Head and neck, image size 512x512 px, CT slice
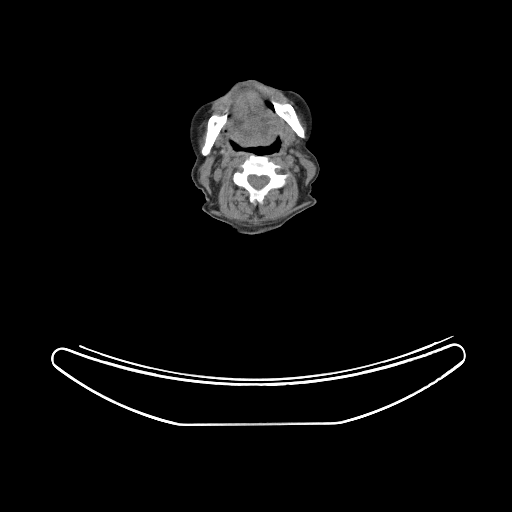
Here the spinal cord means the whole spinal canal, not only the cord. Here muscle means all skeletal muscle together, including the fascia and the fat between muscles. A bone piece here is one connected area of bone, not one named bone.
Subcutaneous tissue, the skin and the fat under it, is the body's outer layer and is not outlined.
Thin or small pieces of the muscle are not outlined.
The bones appear in 3 outlined pieces: piece 1: 251,154 265,155 270,161 281,166 281,168 277,170 278,172 288,174 288,176 285,179 285,184 280,188 270,189 264,196 262,204 252,203 249,199 249,192 245,188 236,185 232,180 233,173 238,169 239,165, around a hole outlined by 249,175 256,175 257,176 267,176 269,178 269,180 268,181 268,182 265,185 264,185 261,188 259,188 258,189 257,188 255,188 254,187 253,187 249,183 249,182 248,181 248,176; piece 2: 225,112 227,113 227,119 225,124 222,127 218,135 216,137 209,153 205,156 202,155 201,153 201,149 204,145 204,143 205,142 206,130 207,129 207,122 209,117 212,114 218,114 220,115 221,114 223,114; piece 3: 271,99 273,99 275,101 280,103 288,103 293,107 295,110 295,112 297,115 299,122 304,130 304,132 305,133 305,138 301,138 298,136 292,129 292,128 287,123 287,122 281,117 280,117 276,113 271,103. The head and neck is outlined by 252,78 292,90 305,99 313,121 307,148 316,156 320,171 311,190 316,199 315,205 275,229 258,234 244,234 210,217 201,209 205,198 190,175 195,155 189,139 189,126 194,112 202,104 223,94 235,82; inner edge: 276,140 279,140 279,147 277,150 269,153 266,153 265,154 256,154 255,153 252,153 250,151 246,151 243,149 236,149 233,145 233,144 235,144 243,149 245,148 267,147 273,144 274,142 276,141. The spinal cord is outlined by 249,175 256,175 257,176 267,176 269,178 269,180 268,181 268,182 265,185 264,185 261,188 259,188 258,189 257,188 255,188 254,187 253,187 249,183 249,182 248,181 248,176. The muscle is outlined by 250,82 279,91 295,103 306,132 290,103 273,98 270,103 303,139 302,151 317,166 306,186 306,203 259,225 210,212 209,194 197,179 202,156 210,153 228,119 226,111 208,117 200,152 199,126 216,101, around a hole outlined by 276,140 279,140 277,150 265,155 270,161 281,166 278,172 287,173 288,176 282,187 272,188 267,192 262,204 254,204 249,199 249,192 232,180 233,173 252,153 236,149 233,144 243,149 258,148 270,146.